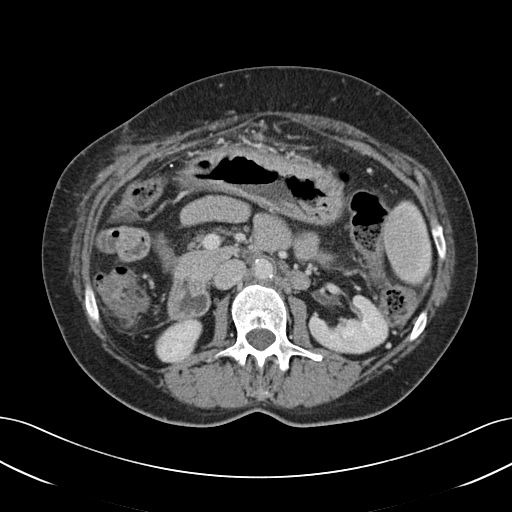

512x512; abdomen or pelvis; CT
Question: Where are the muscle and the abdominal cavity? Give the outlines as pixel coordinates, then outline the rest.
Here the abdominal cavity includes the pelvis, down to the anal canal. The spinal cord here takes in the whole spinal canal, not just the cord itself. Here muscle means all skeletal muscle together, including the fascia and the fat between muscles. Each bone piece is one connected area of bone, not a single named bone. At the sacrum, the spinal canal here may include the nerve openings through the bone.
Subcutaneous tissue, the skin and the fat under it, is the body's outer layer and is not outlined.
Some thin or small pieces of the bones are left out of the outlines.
Answer: The muscle is outlined by 265,110 280,110 281,111 291,111 292,112 317,114 345,121 369,134 380,142 386,143 409,155 426,167 431,172 432,176 437,182 452,228 452,236 454,241 455,260 456,262 454,266 454,275 451,283 451,290 449,292 449,294 444,303 437,309 435,315 427,326 427,334 425,338 411,353 404,357 399,362 396,363 393,366 393,368 386,370 381,374 370,379 365,383 347,392 333,401 313,407 298,406 294,408 284,408 283,407 277,407 270,403 259,402 239,408 221,408 220,407 216,407 211,409 200,408 193,405 183,403 172,397 168,393 164,392 160,388 155,387 153,384 135,373 127,366 121,363 106,352 101,346 99,338 92,331 88,324 81,303 74,291 72,280 70,276 70,271 69,270 70,249 75,227 77,210 97,175 123,152 135,146 174,132 177,130 202,124 205,121 213,121 217,119 223,119 230,117 235,114 251,113 with a hole at 264,116 301,124 379,161 413,192 429,224 436,220 442,226 446,255 437,256 424,329 412,341 406,337 382,353 351,359 311,343 306,304 292,296 291,342 322,359 292,355 283,371 268,358 261,370 250,357 244,365 231,356 207,361 236,340 226,337 225,297 215,302 210,341 189,359 164,367 132,359 101,318 97,323 85,308 104,207 155,159. The abdominal cavity is outlined by 264,116 351,146 413,192 437,252 423,308 396,346 351,359 311,343 296,296 290,341 280,294 249,283 231,301 235,338 226,337 225,297 210,341 189,359 164,367 132,359 106,331 90,279 104,207 155,159. The bones appear in 4 outlined pieces: piece 1: 249,284 270,287 279,294 286,310 287,338 298,346 321,354 321,360 292,355 289,367 285,371 270,358 265,361 262,370 250,357 244,365 240,365 231,356 207,361 235,342 237,331 231,310 232,301 235,295, around a hole outlined by 254,329 266,329 270,331 274,335 274,340 268,346 267,346 265,348 261,350 260,349 257,349 255,348 251,344 249,343 249,342 246,338 246,335 247,333 248,333 250,331; piece 2: 86,283 89,283 91,285 91,287 94,292 95,300 96,301 96,303 97,304 97,308 99,312 99,321 97,323 95,321 91,319 88,316 86,312 86,309 85,308 85,303 84,302 84,289 85,288 85,284; piece 3: 436,220 442,226 442,228 443,229 443,236 444,237 445,244 446,245 446,255 445,256 445,258 443,260 441,260 439,258 438,252 431,232 431,226 435,223 435,221; piece 4: 423,309 426,309 427,311 427,321 426,322 426,325 424,329 422,331 422,332 414,340 412,341 409,341 407,340 407,337 410,333 414,325 414,323 417,317 419,315 420,312. The spinal cord is outlined by 254,329 266,329 270,331 274,335 274,340 268,346 267,346 265,348 261,350 260,349 257,349 255,348 251,344 249,343 249,342 246,338 246,335 247,333 248,333 250,331. The torso is outlined by 261,65 322,67 357,76 419,120 451,164 471,206 478,243 472,299 455,337 429,373 402,400 376,415 311,427 291,426 261,412 211,427 163,422 104,391 68,350 42,277 46,214 63,169 92,141 188,82.